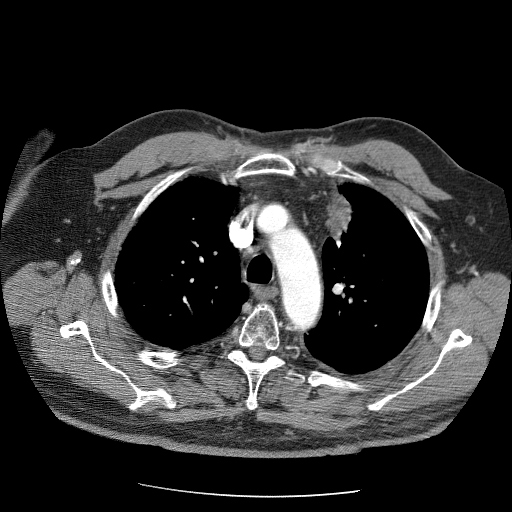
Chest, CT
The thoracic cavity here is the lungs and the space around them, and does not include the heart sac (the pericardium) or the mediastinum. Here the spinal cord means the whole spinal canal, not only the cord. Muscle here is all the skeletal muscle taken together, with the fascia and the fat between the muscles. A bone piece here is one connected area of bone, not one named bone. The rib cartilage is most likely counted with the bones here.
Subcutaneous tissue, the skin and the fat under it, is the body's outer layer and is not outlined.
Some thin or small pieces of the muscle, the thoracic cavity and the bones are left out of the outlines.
{"torso":[[[172,108],[203,111],[262,131],[323,127],[362,116],[395,118],[419,128],[462,167],[502,188],[511,238],[508,308],[475,391],[443,430],[422,441],[356,454],[240,458],[123,442],[56,416],[30,377],[0,305],[2,225],[47,156],[90,145],[140,116]]],"right_arm":[[[45,126],[52,126],[55,128],[57,132],[57,140],[47,153],[48,155],[46,156],[46,158],[35,179],[19,195],[19,196],[17,197],[3,223],[4,210],[6,205],[6,198],[12,180],[12,176],[14,173],[20,155],[32,133],[36,130]]],"mediastinum":[[[304,166],[317,167],[340,181],[331,214],[331,235],[321,248],[321,316],[303,336],[304,345],[297,345],[283,335],[282,322],[270,303],[258,302],[242,315],[249,288],[241,281],[238,250],[230,241],[227,226],[237,207],[240,179],[264,174],[293,178]]],"spinal_cord":[[[252,346],[263,346],[265,348],[265,349],[267,351],[267,355],[266,356],[266,357],[262,361],[254,361],[253,360],[251,360],[249,358],[249,357],[248,356],[248,348],[249,348],[250,347],[251,347]]],"thoracic_cavity":[[[189,176],[217,178],[221,184],[238,189],[236,207],[226,226],[229,241],[237,250],[240,281],[248,288],[248,297],[242,305],[240,322],[236,320],[231,328],[219,337],[181,351],[160,348],[134,331],[119,304],[114,270],[122,243],[138,219],[160,194]],[[340,180],[367,186],[390,200],[403,213],[425,248],[429,268],[426,306],[413,338],[400,354],[374,370],[350,374],[303,349],[300,355],[298,346],[305,345],[304,336],[310,333],[322,316],[322,248],[327,238],[332,235],[332,214],[338,199],[337,185]]],"bones":[{"outer":[[263,302],[273,307],[283,337],[299,349],[299,356],[287,362],[296,370],[307,375],[315,368],[363,382],[368,390],[341,392],[326,384],[297,384],[285,378],[288,363],[263,376],[257,406],[250,410],[247,376],[238,365],[218,358],[222,348],[211,342]],"hole":[[252,346],[263,346],[265,348],[265,349],[267,351],[267,355],[266,356],[266,357],[262,361],[254,361],[253,360],[251,360],[249,358],[249,357],[248,356],[248,348],[249,348],[250,347],[251,347]]},[[75,320],[85,322],[94,348],[100,356],[123,371],[139,388],[163,388],[172,396],[176,402],[175,406],[167,408],[151,400],[134,410],[129,409],[126,406],[136,398],[136,393],[125,378],[94,357],[83,335],[74,334],[67,338],[61,336],[60,327]],[[271,152],[285,155],[295,164],[297,170],[293,177],[276,173],[255,174],[254,175],[244,176],[240,178],[237,181],[237,185],[236,186],[225,185],[219,181],[218,177],[221,172],[225,172],[228,174],[232,170],[243,163],[248,158],[254,155],[259,155]],[[455,328],[459,328],[464,333],[471,336],[472,340],[468,345],[455,347],[449,350],[443,356],[432,374],[405,392],[390,399],[380,409],[370,410],[367,408],[368,404],[401,389],[409,382],[414,381],[427,372],[438,359],[442,347],[447,341],[451,331]],[[315,153],[318,153],[324,156],[327,156],[334,159],[340,160],[348,167],[367,177],[378,188],[379,191],[367,185],[356,183],[346,179],[340,179],[335,176],[330,176],[320,170],[317,166],[307,165],[309,163],[308,162],[309,158]],[[189,166],[192,166],[194,167],[194,168],[190,171],[183,174],[177,181],[166,188],[155,198],[137,219],[136,223],[128,232],[122,242],[123,236],[129,227],[131,218],[135,210],[135,208],[145,194],[155,184],[160,180],[163,179],[168,174],[176,170]],[[143,348],[148,348],[150,350],[153,350],[154,351],[159,351],[165,348],[167,348],[170,350],[177,350],[180,351],[180,356],[182,358],[182,361],[176,365],[170,366],[166,368],[156,368],[147,365],[141,361],[136,359],[135,357],[137,351]],[[439,280],[441,280],[443,283],[441,287],[441,301],[440,302],[440,306],[439,307],[439,310],[438,311],[437,316],[433,323],[431,330],[429,332],[420,331],[419,332],[419,334],[417,336],[415,336],[415,334],[420,328],[420,326],[425,313],[430,288]],[[107,269],[108,269],[111,272],[113,276],[113,284],[114,285],[114,288],[116,292],[118,304],[120,308],[118,310],[119,312],[119,316],[117,318],[114,317],[108,310],[108,308],[103,299],[102,293],[100,289],[100,275],[102,273],[102,272],[105,271]],[[403,205],[406,205],[409,208],[415,211],[418,216],[425,223],[431,234],[431,241],[430,242],[431,248],[430,249],[427,249],[424,246],[420,240],[419,237],[417,235],[416,232],[414,230],[413,227],[411,225],[410,222],[404,214],[403,212]]],"muscle":[{"outer":[[184,130],[205,131],[220,138],[228,135],[244,137],[254,143],[271,146],[286,146],[295,140],[304,141],[310,138],[341,145],[369,138],[385,139],[401,145],[413,154],[431,182],[453,197],[440,200],[431,206],[438,219],[426,218],[442,247],[449,281],[468,280],[486,271],[498,271],[511,281],[508,308],[505,311],[497,346],[475,391],[396,422],[358,425],[348,429],[291,430],[286,429],[285,425],[255,421],[248,413],[232,419],[151,423],[144,415],[131,411],[151,401],[164,408],[173,409],[177,402],[163,387],[139,387],[123,370],[100,355],[95,348],[89,327],[82,319],[62,324],[58,329],[60,336],[64,339],[74,335],[83,336],[93,357],[107,369],[120,374],[133,389],[135,398],[125,406],[126,408],[104,394],[91,391],[42,369],[41,364],[36,362],[36,358],[31,354],[28,337],[7,324],[7,317],[0,305],[0,285],[4,284],[6,278],[14,271],[31,261],[54,260],[66,266],[85,268],[94,274],[109,236],[132,202],[103,200],[95,203],[93,173],[112,166],[131,149],[153,136]],"holes":[[[271,152],[285,155],[300,170],[315,153],[340,160],[367,177],[402,212],[403,205],[415,211],[431,234],[431,248],[426,250],[429,287],[439,280],[443,283],[431,330],[420,331],[400,354],[374,370],[349,374],[303,349],[299,357],[289,358],[287,362],[306,375],[315,368],[363,382],[367,391],[341,392],[307,381],[297,384],[285,378],[288,363],[263,376],[257,406],[250,410],[246,406],[248,378],[238,365],[218,358],[222,351],[218,341],[211,339],[182,350],[182,361],[166,368],[136,359],[143,348],[163,349],[134,331],[120,308],[117,318],[110,313],[100,289],[100,275],[107,269],[114,275],[135,208],[168,174],[192,166],[179,181],[189,176],[217,178],[254,155]],[[455,328],[459,328],[464,333],[471,336],[472,340],[468,345],[455,347],[449,350],[443,356],[432,374],[405,392],[390,399],[380,409],[370,410],[367,408],[368,404],[401,389],[409,382],[414,381],[427,372],[438,359],[442,347],[447,341],[451,331]]]}]}